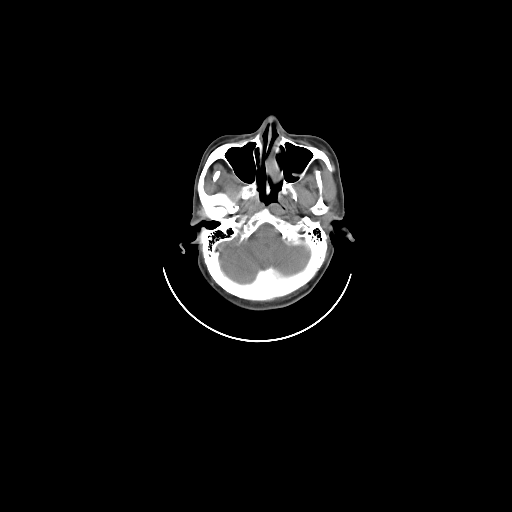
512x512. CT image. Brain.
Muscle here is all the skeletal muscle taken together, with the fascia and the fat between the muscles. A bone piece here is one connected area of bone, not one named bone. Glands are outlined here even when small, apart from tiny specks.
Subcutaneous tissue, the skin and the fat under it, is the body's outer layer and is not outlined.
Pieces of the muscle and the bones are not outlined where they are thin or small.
{"brain":[[[265,223],[271,225],[280,234],[281,239],[287,245],[302,245],[308,250],[308,257],[303,267],[292,273],[283,274],[270,265],[258,269],[253,279],[250,281],[240,282],[233,279],[224,271],[221,265],[220,255],[224,244],[236,239],[239,244],[247,240]]],"parotid_glands":[[[336,197],[336,198],[337,199],[337,211],[333,215],[330,215],[331,214],[331,213],[332,212],[332,205],[333,204],[333,201],[334,200],[334,199]]],"head":[{"outer":[[269,113],[287,132],[315,135],[332,147],[345,210],[332,225],[345,225],[355,241],[332,233],[334,254],[315,287],[288,306],[257,311],[214,291],[198,268],[196,245],[183,243],[182,252],[180,243],[219,224],[189,223],[206,147],[224,134],[253,132]],"holes":[[[251,142],[252,143],[254,143],[254,146],[251,150],[251,153],[252,154],[252,160],[254,164],[255,175],[253,180],[251,182],[246,182],[237,175],[236,172],[234,170],[234,168],[232,164],[226,156],[227,155],[227,153],[232,148],[241,148],[246,144]],[[287,143],[299,148],[303,148],[305,150],[307,150],[311,155],[303,168],[300,171],[295,181],[287,181],[286,180],[284,177],[284,170],[282,168],[279,160],[280,158],[281,160],[283,160],[285,157],[284,151],[285,154],[287,151],[286,148],[286,144]],[[262,167],[264,168],[264,172],[267,178],[264,182],[264,193],[267,196],[271,192],[270,182],[274,185],[280,184],[279,190],[277,192],[276,201],[270,202],[267,204],[262,201],[260,197],[260,193],[258,190],[258,183],[257,181],[260,174],[260,170]],[[273,124],[275,126],[275,129],[276,130],[276,132],[277,133],[277,135],[276,136],[276,137],[272,141],[272,142],[272,126],[273,125]],[[267,127],[267,136],[266,137],[266,143],[265,144],[264,144],[264,141],[263,140],[263,134],[264,133],[264,131],[265,130],[265,129]]]}],"bones":[{"outer":[[269,122],[272,143],[278,135],[277,126],[297,143],[322,150],[333,171],[316,159],[293,185],[297,200],[289,192],[277,200],[281,184],[270,181],[267,195],[268,178],[262,166],[256,181],[259,197],[273,214],[292,224],[303,216],[319,221],[327,235],[327,249],[320,268],[302,286],[270,300],[248,300],[224,290],[207,270],[197,237],[202,227],[211,229],[219,223],[202,217],[197,185],[206,159],[215,148],[251,138]],"holes":[[[265,223],[271,225],[280,234],[281,239],[287,245],[302,245],[308,250],[308,257],[303,267],[292,273],[283,274],[270,265],[258,269],[253,279],[250,281],[240,282],[233,279],[224,271],[221,265],[220,255],[224,244],[236,239],[239,244],[247,240]],[[218,160],[222,160],[226,166],[231,171],[233,177],[239,183],[242,184],[239,190],[235,194],[233,198],[230,197],[227,193],[223,191],[217,191],[210,194],[207,193],[205,191],[204,188],[204,180],[206,174],[209,168]],[[251,142],[252,143],[254,143],[254,146],[251,150],[251,153],[252,154],[252,160],[254,164],[255,175],[253,180],[251,182],[246,182],[237,175],[236,172],[234,170],[234,168],[232,164],[226,156],[227,155],[227,153],[232,148],[241,148],[246,144]],[[287,143],[299,148],[303,148],[305,150],[307,150],[311,155],[303,168],[300,171],[295,181],[287,181],[286,180],[284,177],[284,170],[282,168],[279,160],[280,158],[281,160],[283,160],[285,157],[284,151],[285,154],[287,151],[286,148],[286,144]],[[251,198],[253,198],[257,203],[262,203],[264,205],[260,209],[255,211],[252,214],[250,215],[249,215],[247,213],[240,213],[239,212],[240,210],[240,205],[238,203],[238,201],[239,200],[243,200],[245,201]],[[267,127],[267,136],[266,137],[266,143],[265,144],[264,144],[264,141],[263,140],[263,134],[264,133],[264,131],[265,130],[265,129]]]},[[316,169],[318,169],[320,171],[321,181],[322,182],[322,197],[323,200],[329,207],[328,211],[326,213],[320,215],[315,215],[313,214],[310,210],[310,208],[317,201],[319,196],[318,187],[317,186],[317,183],[315,178],[315,173],[314,172]]],"muscle":[{"outer":[[295,140],[322,146],[333,161],[334,164],[334,180],[336,185],[336,196],[332,201],[325,229],[319,220],[313,220],[308,215],[303,215],[292,223],[269,208],[270,204],[289,193],[294,201],[298,200],[294,185],[304,177],[316,160],[321,161],[331,173],[332,173],[333,172],[334,171],[334,170],[334,167],[333,166],[331,164],[329,157],[322,149]],"hole":[[316,169],[318,169],[320,171],[321,181],[322,182],[322,197],[323,200],[329,207],[328,211],[326,213],[320,215],[315,215],[313,214],[310,210],[310,208],[317,201],[319,196],[318,187],[317,186],[317,183],[315,178],[315,173],[314,172]]},{"outer":[[218,160],[222,160],[226,166],[231,171],[233,177],[239,183],[242,184],[239,190],[235,194],[233,198],[230,197],[227,193],[223,191],[217,191],[210,194],[207,193],[205,191],[204,188],[204,180],[206,174],[209,168]],"hole":[[216,170],[219,170],[220,171],[220,174],[219,175],[219,176],[218,177],[218,178],[215,181],[214,181],[213,180],[213,174],[214,173],[214,172]]},[[251,198],[253,198],[257,203],[262,203],[264,205],[260,209],[255,211],[252,214],[250,215],[249,215],[247,213],[240,213],[239,212],[240,210],[240,205],[238,203],[238,201],[239,200],[243,200],[245,201]],[[307,283],[307,285],[304,288],[301,289],[298,292],[297,292],[295,294],[289,297],[287,297],[283,299],[279,299],[278,300],[271,300],[275,298],[277,298],[278,297],[282,297],[283,296],[288,295],[292,292],[302,287]]]}